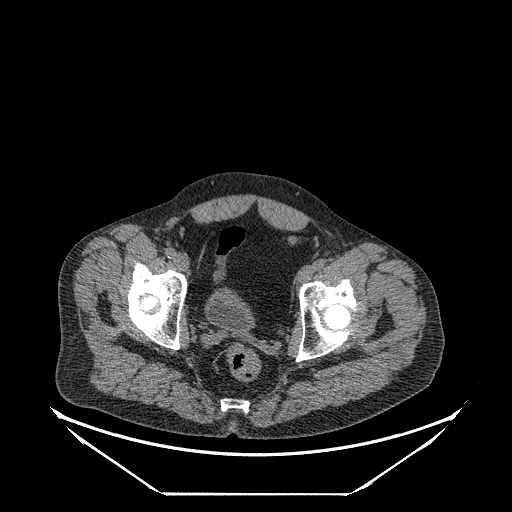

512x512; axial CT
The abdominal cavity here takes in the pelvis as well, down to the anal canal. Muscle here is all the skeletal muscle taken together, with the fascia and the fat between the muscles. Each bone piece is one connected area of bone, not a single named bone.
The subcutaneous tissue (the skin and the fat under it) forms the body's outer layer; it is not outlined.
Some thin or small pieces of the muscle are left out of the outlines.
{"muscle":[{"outer":[[246,193],[296,208],[350,242],[379,244],[413,269],[427,321],[411,364],[389,384],[360,399],[267,427],[253,427],[239,416],[202,424],[154,405],[98,391],[88,379],[92,354],[80,331],[73,295],[73,275],[87,243],[120,224],[156,224],[212,198]],"hole":[[255,203],[259,215],[278,229],[311,225],[325,237],[327,250],[301,268],[297,290],[305,282],[334,286],[348,278],[357,312],[340,346],[295,362],[302,334],[298,310],[287,365],[268,389],[240,398],[250,401],[244,414],[239,408],[222,411],[220,399],[226,396],[204,386],[190,344],[186,300],[180,348],[174,350],[132,322],[127,294],[134,260],[154,274],[174,269],[189,279],[187,256],[158,245],[178,221],[227,220]]}],"abdominal_cavity":[[[255,203],[259,215],[278,229],[297,231],[313,226],[325,237],[327,250],[303,266],[298,275],[299,310],[287,345],[287,365],[265,391],[233,397],[204,386],[188,330],[188,259],[177,248],[159,246],[158,240],[187,216],[198,223],[227,220],[242,215]]],"bones":[[[344,278],[348,278],[350,280],[351,285],[353,287],[353,294],[357,302],[357,312],[353,330],[340,346],[329,353],[323,356],[295,362],[294,360],[298,352],[298,346],[302,334],[298,296],[300,286],[305,282],[314,280],[320,280],[326,285],[334,286]],[[134,260],[139,261],[146,265],[150,271],[154,274],[163,273],[168,269],[174,269],[183,273],[186,276],[187,279],[187,292],[180,314],[180,348],[178,350],[166,348],[152,341],[132,322],[128,315],[127,294],[128,290],[132,283],[132,272],[133,271]],[[224,397],[231,397],[232,398],[240,398],[241,399],[246,399],[247,400],[249,400],[250,401],[250,406],[249,407],[249,411],[248,413],[246,414],[244,414],[242,410],[239,408],[230,408],[227,411],[225,412],[222,411],[220,408],[220,399]]],"torso":[[[224,171],[261,173],[292,181],[343,218],[409,256],[425,271],[437,296],[445,336],[440,366],[426,388],[354,425],[283,439],[172,433],[74,405],[59,394],[54,379],[60,345],[57,282],[68,251],[91,231],[161,203],[192,181]]]}